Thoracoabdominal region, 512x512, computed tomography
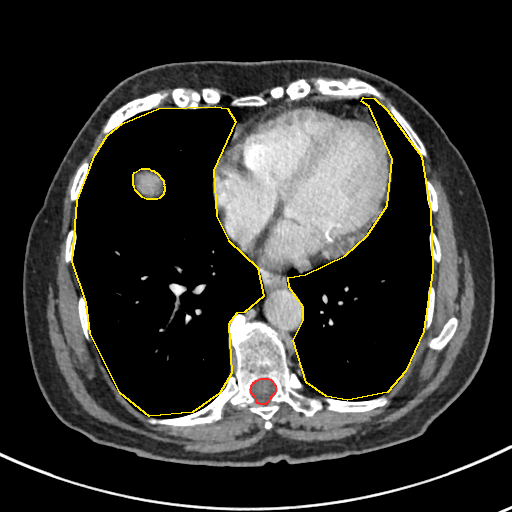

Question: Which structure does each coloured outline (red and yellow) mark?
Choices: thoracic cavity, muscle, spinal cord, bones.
Answer: red: spinal cord; yellow: thoracic cavity.
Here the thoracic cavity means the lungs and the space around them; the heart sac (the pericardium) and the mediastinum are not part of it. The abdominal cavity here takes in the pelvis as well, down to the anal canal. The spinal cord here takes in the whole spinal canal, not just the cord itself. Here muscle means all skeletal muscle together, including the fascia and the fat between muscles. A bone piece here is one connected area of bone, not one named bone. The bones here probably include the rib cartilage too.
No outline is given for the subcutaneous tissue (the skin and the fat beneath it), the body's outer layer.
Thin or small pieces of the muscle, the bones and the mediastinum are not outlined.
The spinal cord is outlined by (260, 378) (268, 378) (270, 379) (275, 385) (275, 391) (274, 393) (269, 398) (268, 401) (265, 404) (260, 404) (259, 403) (257, 403) (256, 402) (256, 399) (255, 397) (251, 393) (251, 390) (250, 389) (251, 388) (251, 385) (253, 383) (253, 382) (254, 382) (256, 380). The thoracic cavity appears in 2 outlined pieces: piece 1: (215, 106) (227, 108) (235, 121) (213, 170) (216, 216) (228, 240) (257, 267) (263, 296) (244, 312) (236, 313) (228, 324) (231, 373) (219, 393) (192, 412) (149, 416) (120, 393) (90, 333) (86, 302) (72, 261) (77, 200) (95, 154) (107, 135) (122, 123) (158, 108), around a hole outlined by (141, 168) (148, 168) (151, 170) (153, 170) (155, 172) (156, 172) (163, 180) (163, 183) (164, 184) (163, 185) (164, 186) (164, 191) (163, 192) (163, 194) (159, 198) (157, 199) (146, 199) (142, 197) (135, 190) (134, 186) (133, 185) (133, 174) (134, 172); piece 2: (363, 97) (374, 98) (387, 110) (421, 156) (430, 211) (432, 270) (423, 331) (405, 371) (387, 392) (347, 400) (326, 396) (306, 382) (293, 340) (303, 320) (303, 307) (289, 287) (288, 277) (305, 274) (345, 255) (367, 235) (387, 205) (392, 159) (369, 106) (361, 101). The muscle appears in 6 outlined pieces: piece 1: (102, 127) (106, 136) (90, 162) (85, 158) (83, 159) (78, 165) (73, 175) (69, 188) (69, 200) (76, 202) (75, 226) (66, 233) (63, 259) (72, 262) (81, 292) (76, 307) (85, 339) (91, 336) (109, 378) (133, 408) (148, 416) (149, 424) (210, 424) (231, 408) (249, 405) (268, 431) (283, 402) (311, 417) (323, 403) (300, 391) (304, 384) (298, 374) (325, 396) (330, 411) (367, 412) (386, 405) (386, 393) (406, 371) (435, 312) (436, 289) (430, 283) (442, 250) (430, 229) (438, 193) (425, 178) (422, 157) (428, 154) (447, 194) (457, 246) (467, 251) (474, 283) (469, 331) (439, 386) (382, 428) (318, 442) (292, 441) (273, 432) (250, 448) (215, 453) (153, 439) (86, 412) (58, 366) (46, 309) (49, 283) (55, 283) (66, 187) (70, 176) with a hole at (453, 316) (456, 317) (458, 320) (458, 323) (457, 324) (457, 328) (453, 336) (449, 340) (449, 341) (446, 344) (446, 345) (441, 350) (439, 351) (438, 350) (431, 349) (428, 346) (428, 341) (430, 339) (437, 336) (441, 331) (445, 323) (451, 317); piece 2: (206, 86) (214, 86) (215, 87) (217, 87) (218, 88) (220, 88) (224, 90) (227, 90) (232, 94) (234, 94) (237, 96) (230, 99) (228, 103) (222, 103) (221, 104) (218, 104) (222, 99) (221, 93) (219, 91) (219, 90) (216, 88) (214, 88) (210, 86); piece 3: (317, 75) (326, 75) (327, 76) (331, 76) (332, 77) (335, 77) (336, 78) (337, 77) (348, 77) (347, 77) (346, 78) (346, 79) (341, 79) (340, 78) (334, 78) (333, 77) (328, 78) (327, 77) (324, 77) (323, 76) (318, 76) (314, 80) (314, 81) (313, 82) (313, 88) (314, 89) (314, 91) (317, 94) (318, 94) (313, 94) (312, 95) (309, 95) (312, 91) (312, 85) (304, 77) (303, 77) (308, 77) (309, 76) (316, 76); piece 4: (165, 88) (173, 88) (170, 91) (170, 98) (171, 99) (173, 104) (176, 107) (173, 107) (172, 106) (168, 106) (167, 107) (160, 107) (160, 106) (163, 102) (163, 101) (169, 95) (169, 94) (167, 92) (160, 92) (159, 91) (156, 91) (157, 91) (160, 89) (164, 89); piece 5: (270, 87) (272, 87) (269, 90) (269, 91) (268, 92) (268, 95) (272, 99) (273, 99) (273, 100) (272, 101) (269, 102) (269, 101) (267, 98) (266, 98) (264, 96) (263, 96) (260, 94) (258, 94) (258, 93) (260, 91) (263, 90) (265, 88) (269, 88); piece 6: (378, 88) (379, 88) (382, 91) (383, 91) (393, 100) (393, 101) (394, 102) (395, 105) (397, 107) (397, 108) (390, 101) (387, 101) (384, 104) (385, 105) (385, 106) (384, 107) (379, 102) (383, 102) (385, 100) (386, 97) (383, 93) (383, 92) (379, 89) (378, 89). The bones appear in 15 outlined pieces: piece 1: (238, 313) (248, 321) (262, 321) (279, 333) (290, 369) (303, 384) (299, 391) (318, 399) (322, 408) (307, 416) (279, 402) (268, 430) (265, 420) (252, 412) (249, 404) (231, 407) (220, 420) (210, 423) (149, 423) (148, 417) (195, 412) (220, 393) (235, 370) (228, 328); inner edge: (260, 378) (268, 378) (270, 379) (275, 385) (275, 391) (274, 393) (269, 398) (268, 401) (265, 404) (260, 404) (259, 403) (257, 403) (256, 402) (256, 399) (255, 397) (251, 393) (251, 390) (250, 389) (251, 388) (251, 385) (253, 383) (253, 382) (254, 382) (256, 380); piece 2: (351, 76) (372, 84) (378, 90) (382, 92) (385, 97) (384, 100) (383, 101) (379, 101) (374, 97) (365, 95) (362, 95) (359, 97) (341, 97) (339, 98) (317, 93) (314, 88) (314, 82) (318, 77) (323, 77) (328, 79) (333, 78) (334, 79) (346, 80) (347, 78); piece 3: (154, 92) (167, 93) (168, 94) (168, 95) (162, 101) (159, 107) (139, 112) (122, 122) (118, 126) (114, 128) (107, 134) (105, 134) (103, 132) (103, 127) (105, 125) (110, 115) (114, 111) (127, 102) (133, 99) (135, 99) (139, 97) (143, 97) (148, 94) (150, 94); piece 4: (176, 87) (182, 87) (186, 89) (191, 89) (198, 92) (200, 92) (201, 89) (203, 87) (210, 87) (218, 90) (220, 93) (221, 99) (216, 105) (213, 106) (202, 102) (200, 104) (201, 106) (199, 108) (196, 109) (179, 108) (174, 104) (171, 98) (171, 91); piece 5: (384, 394) (387, 396) (388, 402) (382, 406) (376, 407) (367, 411) (357, 411) (356, 412) (339, 412) (338, 411) (333, 411) (327, 408) (328, 403) (325, 401) (325, 397) (330, 397) (335, 399) (346, 400) (347, 401) (361, 401) (362, 400) (367, 400) (368, 399) (375, 398); piece 6: (299, 78) (304, 78) (311, 85) (311, 91) (307, 96) (300, 99) (296, 99) (295, 100) (289, 100) (289, 98) (286, 94) (285, 94) (282, 98) (280, 98) (279, 99) (274, 99) (269, 95) (269, 92) (273, 87) (277, 85) (281, 85) (285, 88) (292, 81) (296, 80); piece 7: (387, 102) (390, 102) (399, 111) (399, 112) (405, 118) (412, 128) (416, 132) (425, 146) (425, 148) (427, 152) (427, 155) (426, 156) (422, 156) (417, 151) (407, 134) (396, 121) (393, 116) (388, 111) (388, 110) (386, 109) (385, 107) (386, 105) (385, 104); piece 8: (453, 316) (456, 317) (458, 320) (458, 323) (457, 324) (457, 328) (453, 336) (449, 340) (449, 341) (446, 344) (446, 345) (441, 350) (439, 351) (438, 350) (431, 349) (428, 346) (428, 341) (430, 339) (437, 336) (441, 331) (445, 323) (451, 317); piece 9: (85, 159) (87, 159) (89, 161) (89, 165) (88, 166) (87, 173) (81, 185) (81, 187) (79, 191) (79, 194) (78, 195) (78, 197) (76, 201) (71, 201) (70, 200) (70, 188) (73, 182) (73, 178) (74, 177) (74, 175) (76, 172) (77, 168) (83, 161) (83, 160); piece 10: (248, 94) (257, 94) (258, 95) (260, 95) (264, 97) (266, 99) (267, 99) (268, 102) (265, 105) (262, 105) (261, 106) (235, 106) (234, 105) (231, 105) (229, 104) (229, 102) (230, 100) (238, 96) (241, 96) (242, 95) (247, 95); piece 11: (431, 284) (434, 287) (435, 289) (435, 303) (434, 304) (434, 312) (433, 313) (433, 317) (432, 318) (432, 321) (431, 322) (431, 324) (429, 328) (427, 329) (424, 329) (424, 327) (425, 326) (425, 314) (426, 313) (426, 307) (427, 306) (427, 292) (428, 291) (428, 288); piece 12: (80, 295) (82, 295) (85, 302) (85, 310) (86, 311) (87, 319) (89, 324) (89, 333) (90, 334) (90, 340) (87, 340) (86, 339) (82, 331) (82, 328) (81, 327) (81, 324) (80, 323) (80, 320) (78, 315) (78, 308) (77, 307) (77, 305) (78, 304) (78, 299); piece 13: (73, 227) (75, 229) (75, 231) (76, 232) (76, 240) (75, 241) (75, 247) (74, 248) (74, 251) (73, 252) (73, 258) (70, 262) (67, 263) (64, 259) (64, 254) (65, 253) (65, 240) (66, 239) (66, 236) (67, 235) (67, 233) (68, 231) (71, 228); piece 14: (425, 179) (428, 179) (432, 183) (432, 184) (433, 185) (433, 186) (434, 187) (434, 188) (435, 189) (435, 190) (437, 193) (437, 210) (435, 212) (433, 212) (430, 210) (430, 209) (428, 206) (428, 204) (427, 203) (427, 198) (426, 197) (426, 191) (425, 190); piece 15: (430, 230) (433, 230) (435, 232) (435, 233) (438, 238) (439, 243) (440, 244) (440, 249) (441, 250) (441, 258) (438, 262) (434, 262) (433, 261) (433, 259) (432, 258) (432, 256) (431, 255) (431, 252) (430, 251) (430, 245) (429, 244) (429, 233) (430, 232). The pericardium is outlined by (311, 98) (349, 104) (368, 114) (381, 134) (391, 160) (391, 181) (389, 191) (380, 215) (365, 236) (345, 254) (329, 261) (322, 261) (303, 270) (266, 268) (246, 254) (240, 245) (232, 238) (222, 222) (214, 199) (214, 170) (220, 157) (230, 145) (239, 124) (281, 103). The abdominal cavity is outlined by (141, 168) (148, 168) (151, 170) (153, 170) (155, 172) (156, 172) (163, 180) (163, 183) (164, 184) (163, 185) (164, 186) (164, 191) (163, 192) (163, 194) (159, 198) (157, 199) (146, 199) (142, 197) (135, 190) (134, 186) (133, 185) (133, 174) (134, 172). The torso is outlined by (298, 58) (343, 62) (391, 80) (433, 116) (461, 154) (481, 195) (493, 248) (493, 321) (479, 368) (417, 436) (340, 458) (243, 467) (194, 465) (146, 458) (92, 441) (64, 424) (46, 401) (32, 367) (24, 319) (28, 236) (62, 157) (104, 96) (142, 69) (174, 61). The mediastinum appears in 4 outlined pieces: piece 1: (248, 257) (266, 269) (278, 271) (303, 271) (322, 262) (331, 261) (305, 273) (292, 272) (287, 277) (287, 285) (297, 295) (302, 307) (301, 323) (291, 338) (305, 379) (291, 368) (288, 349) (280, 333) (262, 320) (248, 320) (243, 313) (264, 296) (264, 287) (260, 271); piece 2: (286, 96) (288, 98) (287, 101) (281, 102) (263, 111) (260, 111) (252, 115) (243, 122) (239, 123) (234, 133) (236, 121) (231, 118) (232, 114) (231, 111) (225, 106) (217, 105) (228, 104) (235, 107) (261, 107) (265, 106) (274, 100) (279, 100); piece 3: (319, 94) (339, 99) (341, 98) (359, 98) (362, 96) (365, 96) (363, 96) (360, 99) (360, 101) (363, 104) (368, 106) (368, 112) (370, 116) (364, 110) (349, 103) (341, 103) (335, 101) (329, 101) (325, 99) (315, 98) (314, 97) (304, 98); piece 4: (216, 207) (218, 210) (218, 213) (219, 214) (219, 217) (221, 222) (225, 227) (231, 238) (233, 239) (233, 240) (239, 245) (241, 249) (246, 255) (245, 255) (236, 245) (233, 244) (227, 237) (227, 235) (223, 229) (219, 221) (219, 219) (217, 216) (217, 210) (216, 209).